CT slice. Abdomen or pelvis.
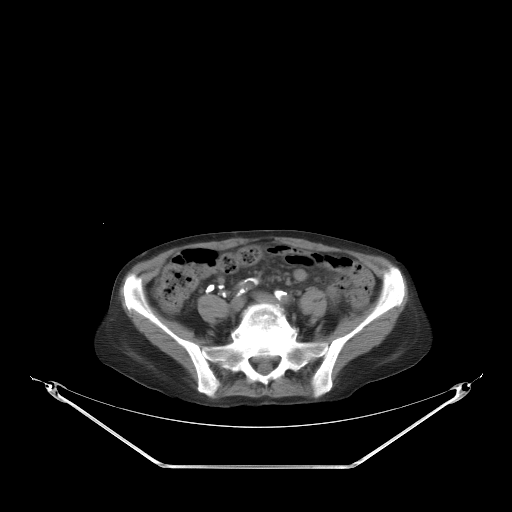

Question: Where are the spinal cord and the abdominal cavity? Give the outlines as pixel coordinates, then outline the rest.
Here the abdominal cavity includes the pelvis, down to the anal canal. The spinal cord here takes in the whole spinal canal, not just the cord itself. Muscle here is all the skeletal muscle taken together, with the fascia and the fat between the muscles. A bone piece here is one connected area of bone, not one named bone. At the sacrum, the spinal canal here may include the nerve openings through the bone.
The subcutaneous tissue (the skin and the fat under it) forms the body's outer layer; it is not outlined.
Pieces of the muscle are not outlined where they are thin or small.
Answer: {"spinal_cord":[[[274,357],[278,357],[278,359],[275,363],[275,364],[274,365],[274,367],[268,373],[267,373],[266,374],[262,374],[261,373],[258,372],[256,370],[256,369],[255,368],[254,365],[252,363],[252,361],[251,360],[252,359],[259,359],[260,358],[273,358]]],"abdominal_cavity":[{"outer":[[260,240],[352,256],[377,276],[378,296],[363,313],[342,317],[331,332],[313,340],[298,339],[298,328],[288,320],[285,309],[269,301],[248,304],[227,342],[215,344],[198,336],[186,325],[163,316],[150,303],[146,285],[168,257],[184,248],[228,249]],"hole":[[204,294],[213,294],[216,296],[218,296],[224,301],[225,301],[228,305],[228,312],[227,313],[227,315],[225,317],[222,318],[217,323],[213,325],[211,325],[203,319],[203,318],[200,315],[198,311],[198,309],[197,308],[197,300],[200,296]]}],"torso":[[[279,228],[305,230],[357,241],[387,251],[403,262],[413,278],[434,330],[432,347],[418,363],[397,374],[370,382],[349,397],[333,402],[222,408],[167,396],[119,373],[96,357],[92,347],[94,326],[108,304],[117,273],[131,258],[148,248],[188,235]]],"bones":[{"outer":[[392,265],[404,282],[400,305],[346,341],[319,397],[311,380],[321,358],[267,385],[212,362],[220,385],[214,397],[199,392],[187,351],[123,295],[127,275],[139,276],[152,312],[201,348],[229,342],[258,302],[279,304],[298,340],[329,344],[372,311]],"hole":[[274,357],[278,357],[278,359],[275,363],[275,364],[274,365],[274,367],[268,373],[267,373],[266,374],[262,374],[261,373],[258,372],[256,370],[256,369],[255,368],[254,365],[252,363],[252,361],[251,360],[252,359],[259,359],[260,358],[273,358]]}],"muscle":[[[265,236],[302,238],[312,242],[345,248],[365,254],[379,255],[388,259],[395,265],[392,264],[383,271],[381,287],[378,276],[368,266],[356,257],[343,252],[296,247],[272,239],[260,239],[228,248],[207,246],[184,247],[167,257],[158,273],[145,285],[145,290],[149,303],[163,317],[186,326],[198,337],[209,339],[214,344],[204,345],[202,347],[191,340],[179,336],[167,326],[150,307],[144,292],[142,278],[134,272],[128,273],[122,285],[124,305],[129,311],[134,311],[149,320],[186,351],[196,373],[196,390],[186,380],[181,369],[155,347],[134,326],[122,309],[118,297],[121,282],[126,273],[136,263],[147,260],[173,247],[190,243],[219,241],[235,237],[255,238]],[[318,359],[321,360],[310,380],[313,397],[300,395],[282,397],[231,395],[212,398],[215,397],[221,385],[211,367],[212,363],[233,373],[242,372],[249,382],[259,382],[267,386],[271,380],[276,380],[282,377],[286,371],[290,370],[297,372]],[[403,274],[407,282],[409,298],[392,330],[389,333],[387,338],[380,344],[367,354],[353,361],[333,387],[333,379],[332,378],[333,369],[337,358],[347,341],[360,332],[364,327],[372,321],[392,308],[398,307],[401,305],[405,295],[405,282]],[[204,294],[213,294],[216,296],[218,296],[224,301],[225,301],[228,305],[228,312],[227,313],[227,315],[225,317],[222,318],[217,323],[213,325],[211,325],[203,319],[203,318],[200,315],[198,311],[198,309],[197,308],[197,300],[200,296]],[[310,287],[315,287],[321,290],[325,294],[325,298],[326,299],[326,309],[325,310],[325,313],[320,317],[319,319],[313,323],[312,323],[310,320],[310,316],[308,314],[304,314],[298,305],[298,302],[300,297],[302,294],[306,291],[307,288],[309,288]],[[377,299],[376,303],[371,311],[367,314],[361,321],[360,321],[348,332],[345,333],[343,335],[334,338],[329,343],[325,341],[314,340],[319,336],[325,336],[331,333],[336,328],[338,323],[342,318],[346,316],[347,317],[352,317],[353,318],[363,314]]]}